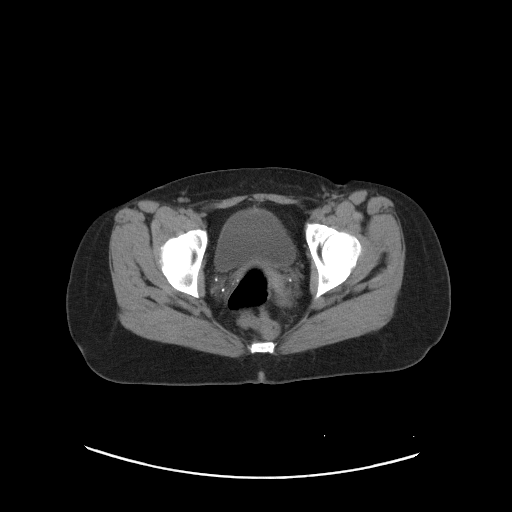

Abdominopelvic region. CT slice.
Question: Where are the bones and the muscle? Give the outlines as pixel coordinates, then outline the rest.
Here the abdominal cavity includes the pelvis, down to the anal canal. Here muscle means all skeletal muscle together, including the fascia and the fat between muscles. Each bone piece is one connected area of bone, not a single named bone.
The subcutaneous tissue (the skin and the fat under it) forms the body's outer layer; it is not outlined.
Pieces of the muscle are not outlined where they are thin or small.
Answer: {"bones":[[[306,222],[320,223],[327,226],[333,227],[339,231],[347,232],[355,236],[358,239],[361,245],[361,253],[356,261],[355,266],[351,270],[347,278],[342,283],[328,290],[316,299],[314,298],[314,296],[317,291],[318,273],[305,239],[304,227]],[[198,228],[205,229],[207,231],[208,241],[201,262],[201,265],[198,271],[197,289],[199,297],[196,298],[189,294],[175,289],[168,282],[161,270],[159,263],[159,253],[161,245],[168,238],[172,236],[176,236],[180,233],[186,232],[191,229],[197,229]],[[258,341],[272,341],[273,342],[274,342],[275,343],[275,346],[274,347],[274,350],[273,351],[273,352],[272,353],[269,353],[268,352],[255,352],[254,353],[251,353],[250,352],[250,350],[248,348],[249,345],[250,344],[251,344],[253,342],[257,342]]],"muscle":[{"outer":[[367,188],[392,199],[405,238],[403,278],[394,314],[378,330],[291,354],[273,355],[276,343],[258,340],[248,345],[251,354],[230,357],[147,339],[128,330],[119,321],[108,251],[113,217],[122,206],[144,199],[185,205],[249,193],[336,200],[357,189]],"hole":[[244,200],[297,205],[306,222],[347,232],[361,245],[347,278],[316,299],[318,273],[306,245],[309,301],[291,326],[270,338],[237,334],[215,317],[206,295],[206,248],[197,276],[197,298],[175,289],[159,263],[160,247],[168,238],[205,229],[208,213]]}],"torso":[[[265,166],[306,170],[338,183],[348,179],[381,183],[413,198],[423,208],[437,233],[450,275],[451,309],[440,340],[419,362],[405,369],[281,384],[123,384],[106,380],[91,370],[70,336],[65,294],[74,253],[93,219],[115,204],[187,175],[218,169]]],"abdominal_cavity":[[[244,200],[297,205],[305,216],[303,233],[309,269],[309,301],[302,315],[291,326],[270,338],[250,338],[237,334],[223,325],[215,317],[208,304],[206,295],[205,271],[208,261],[207,246],[209,241],[206,229],[207,214],[216,209],[234,206]]]}